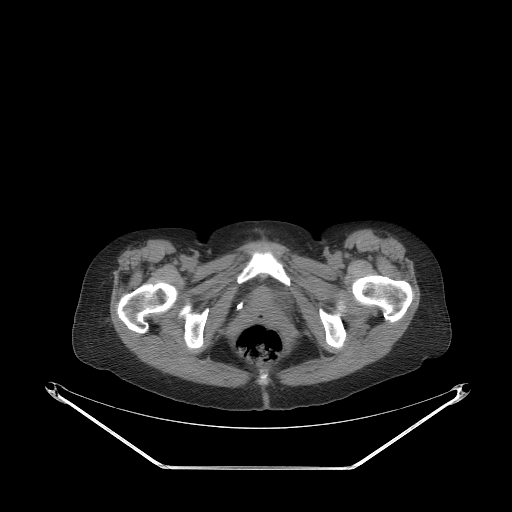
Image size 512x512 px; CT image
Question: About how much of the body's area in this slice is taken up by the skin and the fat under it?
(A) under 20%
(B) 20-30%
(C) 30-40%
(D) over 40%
Answer: (C) 30-40%
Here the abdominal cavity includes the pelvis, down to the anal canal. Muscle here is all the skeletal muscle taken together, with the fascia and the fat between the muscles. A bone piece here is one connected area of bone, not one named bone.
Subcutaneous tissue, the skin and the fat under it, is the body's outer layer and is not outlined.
The abdominal cavity is outlined by 262 274; 270 276; 287 287; 294 299; 302 321; 302 325; 299 332; 299 335; 297 336; 293 345; 289 348; 289 350; 284 357; 273 368; 266 370; 263 369; 258 370; 249 367; 236 359; 230 341; 226 324; 232 303; 238 293; 240 285. The bones appear in 6 outlined pieces: piece 1: 370 274; 383 275; 396 280; 405 280; 410 284; 413 293; 412 300; 407 310; 400 319; 393 322; 388 321; 384 319; 382 313; 382 310; 379 306; 377 305; 362 305; 356 301; 351 291; 351 285; 353 281; 360 277; 366 275; 369 275; piece 2: 159 281; 162 281; 171 284; 177 289; 178 295; 175 302; 166 311; 164 312; 150 313; 145 318; 149 325; 149 328; 146 332; 139 333; 129 329; 119 318; 116 312; 116 308; 119 299; 123 294; 132 291; 144 283; 152 283; 154 284; piece 3: 255 251; 259 251; 260 252; 269 251; 271 252; 272 254; 282 263; 286 273; 290 278; 290 285; 289 286; 287 286; 270 275; 268 275; 264 273; 259 274; 245 281; 243 283; 239 284; 236 280; 237 276; 250 259; 252 255; 252 253; piece 4: 187 303; 190 303; 191 304; 192 306; 192 310; 194 312; 201 312; 206 307; 209 308; 207 318; 203 329; 203 344; 201 347; 198 348; 188 348; 187 347; 184 340; 184 319; 182 317; 179 317; 178 316; 178 313; 180 309; piece 5: 339 302; 341 302; 344 305; 344 309; 342 312; 341 318; 346 332; 346 337; 343 345; 340 348; 335 348; 329 345; 325 340; 325 330; 323 324; 320 319; 319 308; 322 308; 325 311; 329 313; 333 313; 337 309; 337 305; piece 6: 261 370; 263 370; 264 371; 266 371; 268 373; 268 377; 267 378; 267 379; 268 380; 268 383; 266 385; 262 385; 261 384; 259 384; 257 382; 257 380; 258 379; 258 378; 259 377; 259 374; 260 373; 260 371. The muscle is outlined by 359 228; 385 231; 404 244; 415 263; 420 301; 390 352; 348 375; 312 385; 267 385; 267 370; 285 357; 303 325; 288 288; 291 278; 269 250; 253 251; 237 274; 239 287; 225 322; 235 359; 259 371; 256 385; 206 385; 163 373; 140 361; 119 338; 110 320; 113 271; 117 257; 132 242; 151 237; 166 239; 188 260; 208 262; 247 241; 266 239; 299 255; 333 263; 341 255; 346 237 with holes at 370 274; 383 275; 396 280; 405 280; 410 284; 413 293; 412 300; 407 310; 400 319; 393 322; 388 321; 384 319; 382 313; 382 310; 379 306; 377 305; 362 305; 356 301; 351 291; 351 285; 353 281; 360 277; 366 275; 369 275 and at 159 281; 162 281; 171 284; 177 289; 178 295; 175 302; 166 311; 164 312; 150 313; 145 318; 149 325; 149 328; 146 332; 139 333; 129 329; 119 318; 116 312; 116 308; 119 299; 123 294; 132 291; 144 283; 152 283; 154 284 and at 187 303; 190 303; 191 304; 192 306; 192 310; 194 312; 201 312; 206 307; 209 308; 207 318; 203 329; 203 344; 201 347; 198 348; 188 348; 187 347; 184 340; 184 319; 182 317; 179 317; 178 316; 178 313; 180 309 and at 339 302; 341 302; 344 305; 344 309; 342 312; 341 318; 346 332; 346 337; 343 345; 340 348; 335 348; 329 345; 325 340; 325 330; 323 324; 320 319; 319 308; 322 308; 325 311; 329 313; 333 313; 337 309; 337 305 and at 304 339; 308 339; 315 345; 316 347; 316 354; 311 357; 309 357; 308 358; 305 358; 301 360; 299 362; 297 362; 296 363; 291 363; 287 366; 283 367; 282 368; 282 365; 290 356; 291 353; 294 350; 294 349; 298 345; 298 344 and at 220 339; 221 339; 223 341; 223 342; 224 343; 224 344; 230 355; 230 357; 232 359; 232 360; 234 362; 234 363; 235 364; 234 364; 231 362; 226 362; 223 360; 220 360; 219 359; 216 359; 215 358; 214 358; 212 356; 212 348. The torso is outlined by 368 218; 391 220; 411 230; 433 252; 442 272; 451 342; 443 355; 425 360; 414 371; 323 405; 227 411; 144 390; 83 363; 73 352; 71 328; 85 271; 104 246; 124 233; 183 227; 205 238; 229 223; 274 219; 317 235; 329 225.